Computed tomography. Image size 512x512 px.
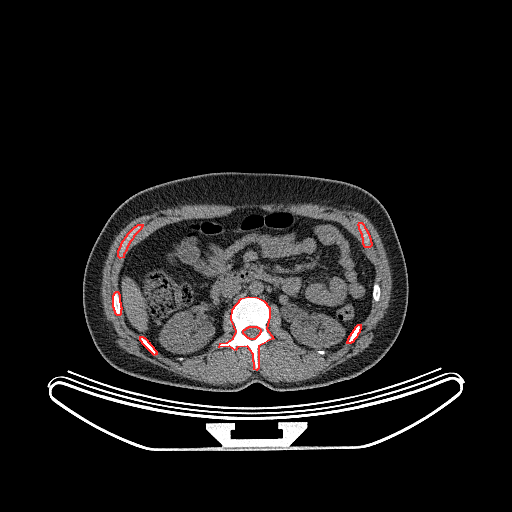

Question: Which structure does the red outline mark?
Answer: red: bones.
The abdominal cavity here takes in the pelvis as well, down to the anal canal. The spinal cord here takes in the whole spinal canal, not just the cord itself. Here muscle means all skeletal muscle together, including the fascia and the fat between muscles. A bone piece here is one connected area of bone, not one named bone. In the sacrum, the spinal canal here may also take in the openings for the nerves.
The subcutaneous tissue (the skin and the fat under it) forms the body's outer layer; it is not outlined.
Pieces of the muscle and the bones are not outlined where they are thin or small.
Outlined structures:
bones 1: 248 296; 257 297; 263 300; 269 307; 269 317; 266 328; 273 338; 258 346; 258 368; 256 370; 254 369; 253 354; 247 346; 237 347; 235 350; 229 346; 219 347; 220 343; 227 342; 233 338; 236 331; 231 319; 232 309; 241 298, around a hole outlined by 249 326; 256 326; 257 327; 258 327; 260 329; 260 332; 259 333; 259 334; 254 339; 250 339; 249 338; 248 338; 243 333; 243 330; 244 329; 245 329; 247 327; 248 327
bones 2: 138 224; 142 224; 142 226; 141 227; 141 228; 133 236; 132 239; 129 242; 129 243; 126 248; 126 250; 123 254; 123 257; 120 258; 118 256; 118 250; 121 245; 121 243; 122 242; 122 241; 127 235; 127 234; 135 226; 136 226
bones 3: 359 222; 361 222; 363 224; 364 227; 366 229; 366 230; 369 235; 369 237; 370 238; 370 241; 371 242; 371 245; 369 247; 365 247; 363 244; 363 238; 362 237; 362 234; 359 229; 359 226; 358 225
bones 4: 116 291; 117 291; 118 292; 118 293; 119 294; 119 301; 120 302; 120 306; 121 307; 121 309; 120 310; 120 314; 119 315; 117 315; 115 313; 115 311; 114 310; 114 308; 113 307; 113 295; 114 294; 114 293
bones 5: 358 324; 360 324; 360 329; 359 330; 359 332; 357 334; 356 337; 353 340; 353 341; 352 342; 351 342; 350 343; 347 343; 347 341; 348 340; 348 338; 349 337; 349 336; 351 334; 351 333; 353 331; 353 330; 355 328; 355 327
bones 6: 140 336; 142 336; 143 337; 144 337; 147 340; 147 341; 148 342; 149 342; 149 343; 153 347; 153 348; 156 351; 156 354; 155 354; 154 355; 142 343; 142 342; 140 340
abdominal cavity: 250 208; 288 211; 342 224; 374 266; 368 314; 339 348; 308 349; 296 343; 282 327; 274 304; 248 295; 241 297; 230 313; 228 309; 224 312; 223 332; 205 351; 178 358; 165 356; 124 319; 118 278; 126 255; 166 224; 220 217
torso: 227 171; 341 180; 367 190; 383 205; 405 259; 408 300; 399 334; 377 363; 352 378; 322 387; 276 391; 255 382; 238 391; 205 391; 141 379; 116 369; 102 357; 86 324; 82 284; 88 256; 108 218; 125 200; 145 188; 178 178
muscle: 253 203; 316 203; 321 205; 353 206; 368 218; 380 236; 386 252; 392 278; 389 303; 385 313; 373 330; 374 336; 372 342; 358 354; 350 357; 324 373; 305 380; 297 382; 274 382; 268 380; 257 372; 244 381; 228 384; 212 384; 190 379; 143 360; 122 349; 116 343; 116 337; 107 323; 100 293; 102 270; 110 246; 121 230; 133 219; 150 213; 158 208; 163 209; 185 204; 241 205, around holes outlined by 250 208; 339 222; 357 239; 380 296; 371 300; 356 337; 319 354; 294 341; 270 304; 266 328; 273 338; 258 346; 256 370; 247 346; 219 347; 236 331; 228 309; 223 332; 205 351; 182 360; 154 355; 113 307; 126 255; 166 224 and by 138 224; 142 224; 142 226; 141 227; 141 228; 133 236; 132 239; 129 242; 129 243; 126 248; 126 250; 123 254; 123 257; 120 258; 118 256; 118 250; 121 245; 121 243; 122 242; 122 241; 127 235; 127 234; 135 226; 136 226 and by 359 222; 361 222; 363 224; 364 227; 366 229; 366 230; 369 235; 369 237; 370 238; 370 241; 371 242; 371 245; 369 247; 365 247; 363 244; 363 238; 362 237; 362 234; 359 229; 359 226; 358 225
spinal cord: 249 326; 256 326; 257 327; 258 327; 260 329; 260 332; 259 333; 259 334; 254 339; 250 339; 249 338; 248 338; 243 333; 243 330; 244 329; 245 329; 247 327; 248 327